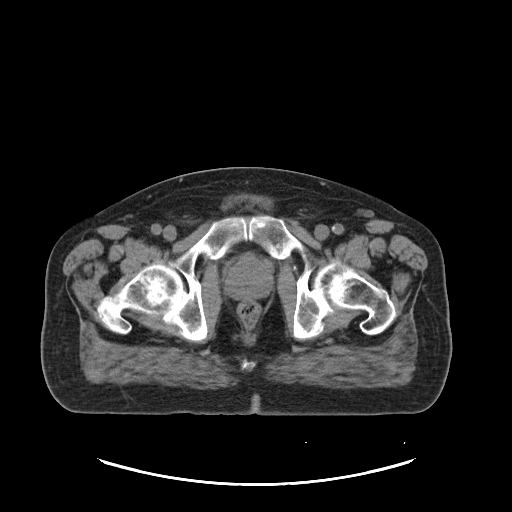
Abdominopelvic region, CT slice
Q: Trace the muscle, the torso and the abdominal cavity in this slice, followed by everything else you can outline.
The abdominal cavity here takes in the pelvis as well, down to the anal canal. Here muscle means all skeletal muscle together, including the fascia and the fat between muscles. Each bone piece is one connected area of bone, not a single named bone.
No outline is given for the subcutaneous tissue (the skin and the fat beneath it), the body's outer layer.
A: The muscle is outlined by [[238,192],[275,197],[303,227],[322,242],[333,242],[363,221],[372,218],[397,222],[414,236],[425,251],[428,265],[413,306],[418,348],[416,368],[409,383],[396,387],[329,388],[318,385],[273,382],[258,371],[248,372],[235,386],[218,389],[137,384],[120,386],[94,384],[84,378],[79,360],[78,313],[65,288],[62,272],[63,260],[73,241],[88,228],[103,223],[125,223],[154,242],[170,245],[182,238],[224,196]]; inner edges: [[253,215],[281,218],[306,247],[314,267],[310,286],[320,267],[340,261],[384,288],[396,317],[382,332],[362,332],[361,310],[335,307],[318,335],[295,338],[296,282],[304,267],[297,250],[274,259],[274,287],[252,332],[242,328],[224,297],[220,260],[203,255],[194,273],[201,285],[204,339],[186,339],[161,315],[129,308],[121,312],[132,327],[126,334],[109,330],[99,319],[100,300],[144,266],[167,265],[216,220]], then [[278,304],[280,305],[283,314],[286,343],[282,350],[271,354],[248,354],[244,351],[240,353],[229,353],[219,350],[216,346],[217,324],[222,311],[229,314],[236,321],[236,329],[231,336],[232,339],[239,345],[250,348],[256,344],[261,327],[271,308]], then [[244,359],[246,359],[247,360],[248,360],[249,361],[253,361],[255,363],[255,365],[254,366],[254,367],[253,368],[252,368],[251,369],[250,368],[246,368],[245,369],[242,369],[241,368],[241,364],[242,363],[242,361]]. The torso is outlined by [[227,166],[276,167],[335,180],[387,201],[431,230],[438,240],[444,259],[452,352],[444,386],[430,407],[417,413],[379,415],[141,415],[77,413],[65,409],[54,399],[42,371],[40,334],[44,316],[46,264],[57,239],[78,221],[148,185],[187,172]]. The abdominal cavity is outlined by [[242,241],[257,242],[274,259],[276,265],[274,287],[270,297],[269,303],[267,305],[259,323],[257,324],[257,326],[252,332],[246,332],[242,328],[241,323],[242,322],[234,315],[230,309],[224,297],[220,277],[220,259],[231,249],[232,246]]. The bones appear in 2 outlined pieces: piece 1: [[253,215],[281,218],[306,247],[310,286],[340,261],[384,288],[396,317],[382,332],[335,307],[318,335],[295,338],[302,258],[276,259],[254,240],[197,258],[204,339],[129,308],[126,334],[99,319],[100,300],[144,266],[167,265],[216,220]]; piece 2: [[244,359],[246,359],[247,360],[248,360],[249,361],[253,361],[255,363],[255,365],[254,366],[254,367],[253,368],[252,368],[251,369],[250,368],[246,368],[245,369],[242,369],[241,368],[241,364],[242,363],[242,361]].